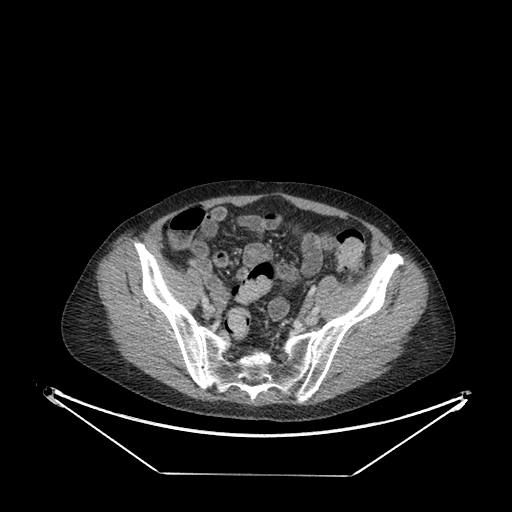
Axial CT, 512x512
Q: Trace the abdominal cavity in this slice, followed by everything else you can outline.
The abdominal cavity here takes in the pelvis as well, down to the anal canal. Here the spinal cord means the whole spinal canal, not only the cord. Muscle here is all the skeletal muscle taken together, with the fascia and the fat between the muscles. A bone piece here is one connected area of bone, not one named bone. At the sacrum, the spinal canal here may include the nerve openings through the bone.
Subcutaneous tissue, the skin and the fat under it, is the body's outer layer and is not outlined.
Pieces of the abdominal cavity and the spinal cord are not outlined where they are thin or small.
A: {"abdominal_cavity":[[[270,196],[361,223],[371,232],[371,261],[354,283],[332,274],[321,278],[316,301],[325,322],[319,328],[290,335],[271,355],[256,348],[237,358],[228,350],[227,337],[192,314],[202,278],[195,269],[178,269],[166,258],[162,227],[189,206],[243,206]]],"bones":[{"outer":[[134,240],[196,321],[229,340],[226,362],[256,349],[285,360],[286,340],[351,309],[388,253],[404,262],[382,306],[346,331],[308,399],[299,403],[294,388],[286,394],[270,387],[252,401],[237,386],[219,392],[192,379],[166,316],[142,290]],"hole":[[247,380],[249,380],[250,381],[252,381],[253,380],[263,380],[263,381],[262,382],[261,382],[260,383],[258,383],[257,384],[254,384],[253,385],[251,385],[250,384],[248,384],[246,382],[246,381]]}],"spinal_cord":[[[279,350],[283,350],[284,351],[285,351],[285,352],[286,353],[286,357],[285,358],[285,359],[284,359],[283,360],[278,360],[277,359],[275,359],[274,358],[273,358],[273,357],[272,356],[273,353],[274,352],[275,352],[276,351],[278,351]],[[228,351],[233,351],[234,352],[235,352],[235,353],[237,356],[237,357],[236,358],[236,359],[235,359],[234,360],[230,360],[229,361],[226,361],[225,360],[224,360],[224,359],[223,358],[223,356],[224,355],[224,354],[226,352],[227,352]]],"torso":[[[227,179],[299,181],[324,185],[357,195],[388,214],[426,256],[445,293],[456,331],[455,348],[448,363],[404,390],[362,408],[319,420],[274,422],[220,418],[174,410],[128,391],[73,358],[60,333],[63,307],[89,258],[110,232],[125,219],[179,190]]],"muscle":[{"outer":[[276,191],[280,191],[283,193],[289,194],[293,196],[297,196],[305,199],[309,199],[321,203],[324,203],[347,211],[362,218],[379,228],[392,240],[393,244],[398,249],[409,254],[422,270],[422,272],[424,274],[428,284],[427,306],[426,309],[421,315],[418,323],[412,328],[408,334],[410,338],[404,345],[405,351],[396,358],[395,361],[392,363],[392,367],[379,377],[366,382],[359,387],[356,387],[343,394],[339,394],[333,398],[327,399],[316,404],[296,405],[295,404],[278,403],[277,404],[268,404],[263,406],[250,406],[249,405],[245,405],[224,400],[220,400],[219,401],[203,401],[193,398],[159,381],[127,361],[115,349],[115,342],[110,338],[110,334],[108,332],[107,324],[106,323],[107,319],[106,312],[104,306],[101,303],[101,300],[97,292],[97,285],[96,284],[97,281],[95,278],[96,270],[100,260],[103,257],[104,252],[123,233],[135,227],[148,226],[158,218],[174,210],[176,210],[188,203],[191,203],[195,201],[201,201],[214,197],[225,196],[226,195],[253,195],[254,194],[269,193]],"hole":[[270,196],[371,232],[363,276],[318,282],[325,322],[358,302],[388,253],[404,259],[382,306],[346,331],[301,403],[294,388],[270,387],[252,401],[237,386],[201,388],[142,290],[133,243],[154,256],[192,313],[202,278],[166,258],[164,223],[189,206]]}]}